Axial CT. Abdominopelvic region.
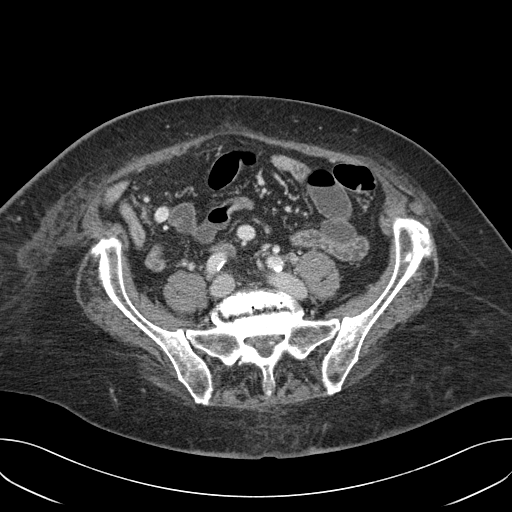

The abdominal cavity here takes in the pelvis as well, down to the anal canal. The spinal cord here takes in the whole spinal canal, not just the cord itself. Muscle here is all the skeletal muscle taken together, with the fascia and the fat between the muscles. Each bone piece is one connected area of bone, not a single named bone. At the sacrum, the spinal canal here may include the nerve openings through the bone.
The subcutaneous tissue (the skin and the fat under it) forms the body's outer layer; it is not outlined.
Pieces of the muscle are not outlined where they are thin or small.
{"torso":[[[205,94],[276,96],[347,110],[400,132],[443,163],[511,248],[511,396],[481,400],[411,430],[355,447],[288,458],[265,456],[258,459],[239,459],[198,455],[154,446],[101,429],[65,408],[39,397],[0,391],[0,206],[67,146],[103,122],[142,106]]],"spinal_cord":[[[278,334],[280,334],[282,336],[282,339],[279,342],[276,343],[274,345],[272,348],[271,353],[268,356],[266,356],[265,357],[264,356],[262,356],[255,348],[246,344],[244,342],[244,340],[250,336],[254,336],[255,335],[277,335]]],"muscle":[[[224,123],[245,126],[279,139],[367,156],[419,187],[435,206],[431,220],[439,262],[438,286],[427,304],[406,323],[406,329],[389,340],[391,344],[387,348],[391,352],[384,362],[346,389],[342,390],[343,384],[359,359],[370,329],[416,273],[423,259],[429,259],[435,249],[431,233],[421,221],[412,216],[395,216],[391,222],[394,264],[383,290],[357,314],[324,318],[332,309],[363,293],[388,264],[390,241],[380,226],[386,199],[384,184],[365,163],[333,161],[228,133],[208,138],[168,160],[130,172],[112,181],[103,191],[97,207],[99,216],[103,221],[119,223],[123,227],[132,279],[139,292],[171,311],[162,293],[171,274],[178,270],[197,273],[205,282],[207,305],[192,316],[197,328],[167,329],[146,318],[129,297],[123,276],[122,241],[117,236],[101,237],[88,251],[97,263],[97,278],[106,295],[159,346],[171,363],[177,380],[197,404],[195,408],[182,404],[180,399],[138,377],[134,357],[93,323],[75,299],[73,280],[84,250],[70,243],[73,239],[71,225],[84,190],[135,155],[205,134]],[[328,341],[332,341],[321,359],[319,368],[320,380],[328,396],[267,411],[209,406],[214,391],[213,375],[205,360],[195,350],[218,359],[228,367],[235,364],[257,367],[262,374],[262,390],[269,397],[276,386],[274,369],[284,357],[304,360],[317,347]],[[310,250],[319,251],[331,258],[334,261],[341,278],[340,285],[337,290],[337,295],[335,298],[331,300],[328,300],[323,303],[313,297],[313,295],[308,286],[304,280],[298,275],[298,273],[296,271],[296,264],[298,263],[302,255]]],"bones":[{"outer":[[398,216],[427,227],[434,249],[332,395],[320,369],[328,340],[284,356],[269,396],[257,366],[195,349],[213,386],[210,404],[196,403],[89,253],[117,237],[128,297],[167,330],[212,327],[212,309],[242,288],[282,292],[307,319],[341,319],[386,287]],"hole":[[278,334],[280,334],[282,336],[282,339],[279,342],[276,343],[274,345],[272,348],[271,353],[268,356],[266,356],[265,357],[264,356],[262,356],[255,348],[246,344],[244,342],[244,340],[250,336],[254,336],[255,335],[277,335]]}],"abdominal_cavity":[{"outer":[[228,134],[369,166],[385,193],[379,226],[389,246],[379,277],[316,319],[282,291],[242,287],[211,309],[213,325],[205,328],[193,318],[208,305],[199,273],[178,269],[167,277],[161,293],[171,310],[139,291],[124,227],[100,216],[104,191],[130,173]],"hole":[[310,250],[319,251],[331,258],[334,261],[341,278],[340,285],[337,290],[337,295],[335,298],[331,300],[328,300],[323,303],[313,297],[313,295],[308,286],[304,280],[298,275],[298,273],[296,271],[296,264],[298,263],[302,255]]}]}